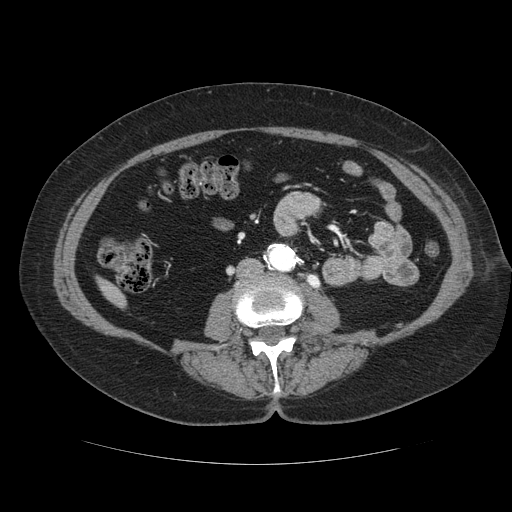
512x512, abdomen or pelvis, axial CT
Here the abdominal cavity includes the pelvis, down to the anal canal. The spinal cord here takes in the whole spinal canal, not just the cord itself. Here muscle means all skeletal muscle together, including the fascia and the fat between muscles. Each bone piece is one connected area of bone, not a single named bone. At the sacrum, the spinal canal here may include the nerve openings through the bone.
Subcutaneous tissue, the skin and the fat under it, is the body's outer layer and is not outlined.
{"spinal_cord":[[[266,326],[279,326],[280,327],[284,327],[285,328],[285,332],[286,333],[286,335],[284,337],[282,337],[277,343],[276,343],[273,345],[269,345],[268,344],[267,344],[264,341],[262,341],[261,340],[258,340],[257,339],[257,330],[262,327],[265,327]]],"abdominal_cavity":[[[242,131],[359,147],[383,163],[435,216],[447,238],[451,260],[426,309],[404,323],[339,333],[334,303],[306,283],[273,277],[246,280],[213,298],[203,329],[210,342],[176,338],[168,347],[98,312],[80,286],[75,260],[82,232],[110,183],[154,156]]],"torso":[[[234,82],[304,84],[371,100],[426,129],[460,162],[490,210],[511,265],[497,340],[471,374],[438,393],[358,421],[304,424],[275,411],[260,423],[198,426],[118,402],[53,351],[34,325],[18,285],[26,225],[50,173],[86,139],[133,109],[182,90]]],"bones":[{"outer":[[268,278],[291,281],[299,287],[304,300],[302,314],[292,324],[295,328],[293,333],[297,336],[293,349],[281,353],[277,359],[279,395],[272,393],[274,377],[269,359],[263,353],[256,356],[252,354],[247,342],[250,329],[234,313],[235,288],[246,281]],"hole":[[266,326],[279,326],[280,327],[284,327],[285,328],[285,332],[286,333],[286,335],[284,337],[282,337],[277,343],[276,343],[273,345],[269,345],[268,344],[267,344],[264,341],[262,341],[261,340],[258,340],[257,339],[257,330],[262,327],[265,327]]}],"muscle":[{"outer":[[253,126],[291,126],[328,131],[397,152],[400,157],[421,168],[457,204],[466,224],[474,271],[465,292],[439,318],[412,335],[378,347],[360,368],[348,375],[338,386],[309,397],[281,398],[276,402],[271,402],[269,398],[255,401],[244,400],[230,393],[205,386],[190,377],[171,357],[131,340],[108,336],[92,329],[77,320],[61,305],[52,285],[52,260],[59,230],[70,207],[89,184],[137,153],[155,145],[206,130]],"hole":[[242,131],[367,151],[435,216],[451,256],[432,301],[404,323],[339,333],[334,303],[300,283],[297,340],[276,364],[279,395],[269,359],[252,354],[250,329],[234,313],[234,289],[211,302],[210,342],[166,347],[106,319],[75,272],[82,232],[121,172]]}]}